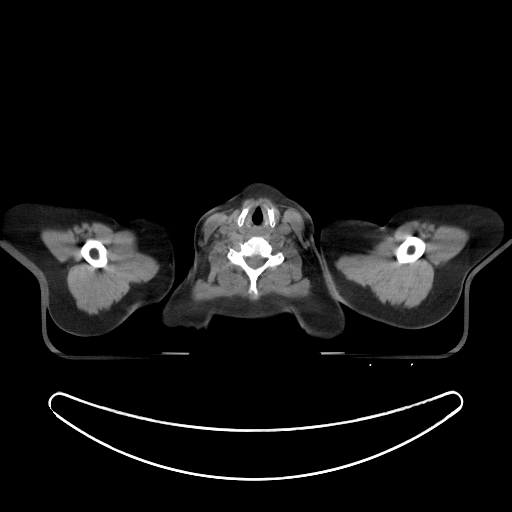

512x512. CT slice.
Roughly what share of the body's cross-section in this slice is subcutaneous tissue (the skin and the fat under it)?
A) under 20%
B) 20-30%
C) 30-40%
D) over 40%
Answer: D) over 40%
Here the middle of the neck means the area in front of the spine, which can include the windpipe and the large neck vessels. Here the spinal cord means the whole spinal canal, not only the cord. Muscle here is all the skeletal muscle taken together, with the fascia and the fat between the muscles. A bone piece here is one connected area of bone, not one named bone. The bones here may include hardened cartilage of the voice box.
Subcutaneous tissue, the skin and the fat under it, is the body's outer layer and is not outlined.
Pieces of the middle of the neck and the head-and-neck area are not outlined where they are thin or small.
{"right_arm":[[[25,201],[91,208],[109,215],[120,223],[139,216],[156,217],[167,222],[174,235],[175,275],[172,285],[174,289],[167,297],[154,305],[138,309],[120,325],[107,333],[96,336],[78,336],[60,329],[48,313],[44,277],[2,237],[4,212],[12,205]]],"muscle":[{"outer":[[257,193],[272,195],[279,202],[294,207],[301,213],[308,242],[311,298],[290,298],[277,294],[269,294],[257,300],[234,296],[219,297],[195,303],[190,297],[190,290],[200,276],[202,269],[202,226],[205,220],[211,214],[234,206],[242,199]],"hole":[[255,200],[261,200],[274,208],[277,228],[262,236],[274,250],[281,251],[284,255],[280,264],[267,267],[258,276],[257,296],[248,293],[250,280],[244,270],[233,264],[227,257],[230,247],[252,236],[251,233],[240,231],[236,227],[236,219],[241,210]]},{"outer":[[412,220],[428,221],[437,226],[441,224],[459,226],[470,233],[464,247],[435,273],[431,291],[418,306],[403,309],[393,307],[387,303],[383,304],[368,287],[346,280],[336,270],[334,261],[339,254],[357,252],[370,242],[381,236],[390,235],[397,227]],"hole":[[406,235],[413,235],[414,236],[417,236],[421,238],[425,242],[426,246],[425,247],[425,250],[423,254],[415,261],[413,262],[410,262],[409,263],[403,263],[402,264],[399,264],[397,262],[397,260],[395,256],[395,250],[400,243],[405,238],[405,236]]},{"outer":[[84,221],[101,222],[114,231],[132,231],[137,237],[138,249],[142,253],[153,256],[160,264],[160,269],[153,278],[132,285],[119,302],[107,310],[92,315],[76,307],[67,288],[66,274],[61,270],[60,264],[40,237],[40,231],[43,228],[65,229]],"hole":[[87,239],[96,239],[97,240],[99,240],[104,245],[104,246],[106,248],[107,250],[107,259],[108,260],[107,261],[107,264],[105,267],[103,268],[94,268],[89,263],[88,263],[81,255],[80,253],[80,249],[81,248],[81,246]]}],"spinal_cord":[[[255,255],[258,255],[259,256],[260,256],[263,258],[265,258],[266,259],[262,265],[261,265],[256,268],[253,268],[252,267],[251,267],[249,265],[248,265],[248,264],[246,262],[246,261],[244,258],[245,257],[251,257],[252,256],[254,256]]],"bones":[{"outer":[[252,236],[262,236],[272,245],[274,250],[281,251],[284,255],[284,259],[280,264],[274,267],[267,267],[258,276],[256,280],[256,288],[258,292],[257,296],[248,293],[250,280],[244,270],[240,266],[233,264],[227,257],[230,247],[236,242],[244,242]],"hole":[[255,255],[258,255],[259,256],[260,256],[263,258],[265,258],[266,259],[262,265],[261,265],[256,268],[253,268],[252,267],[251,267],[249,265],[248,265],[248,264],[246,262],[246,261],[244,258],[245,257],[251,257],[252,256],[254,256]]},[[406,235],[413,235],[414,236],[417,236],[421,238],[425,242],[426,246],[425,247],[425,250],[423,254],[415,261],[413,262],[410,262],[409,263],[403,263],[402,264],[399,264],[397,262],[397,260],[395,256],[395,250],[400,243],[405,238],[405,236]],[[87,239],[96,239],[97,240],[99,240],[104,245],[104,246],[106,248],[107,250],[107,259],[108,260],[107,261],[107,264],[105,267],[103,268],[94,268],[89,263],[88,263],[81,255],[80,253],[80,249],[81,248],[81,246]],[[247,206],[249,206],[249,208],[248,209],[248,210],[247,211],[247,213],[246,214],[246,215],[244,218],[244,221],[243,222],[243,223],[241,226],[238,226],[238,225],[236,222],[236,219],[237,218],[238,215],[240,213],[241,210],[244,207],[246,207]],[[268,207],[273,207],[274,208],[274,215],[275,216],[275,219],[276,220],[276,223],[275,224],[275,225],[273,227],[272,227],[270,225],[270,223],[269,222],[269,216],[268,215],[268,212],[267,211],[267,208]]],"head_and_neck":[[[254,181],[272,184],[309,213],[331,286],[344,304],[343,310],[347,320],[344,332],[305,333],[294,317],[287,313],[250,320],[215,317],[206,330],[167,328],[161,324],[161,310],[185,275],[194,256],[193,237],[198,219],[204,212],[231,198],[242,187]]],"left_arm":[[[457,202],[482,204],[495,209],[505,222],[505,234],[502,241],[465,277],[459,299],[455,307],[445,318],[428,327],[404,329],[361,315],[345,305],[332,286],[330,274],[317,241],[324,221],[334,216],[344,215],[356,216],[384,225],[392,215],[404,208]]],"middle_of_the_neck":[[[255,200],[261,200],[269,206],[266,208],[268,222],[272,228],[277,223],[277,228],[275,230],[269,233],[265,233],[263,235],[252,235],[251,233],[240,231],[236,227],[236,223],[238,227],[241,227],[243,225],[250,208],[250,206],[248,205],[254,202]]]}